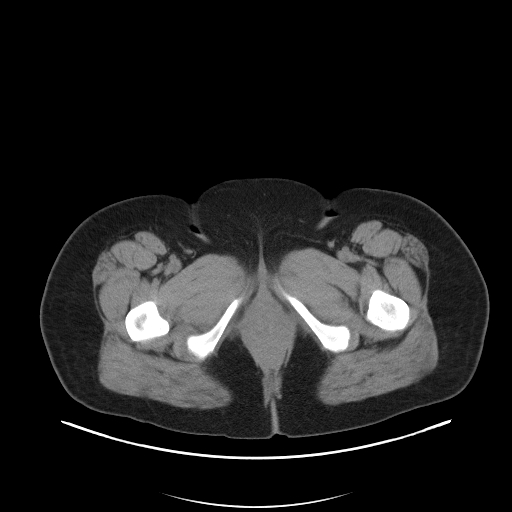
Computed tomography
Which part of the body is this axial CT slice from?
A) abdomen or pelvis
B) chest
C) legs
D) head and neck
A) abdomen or pelvis
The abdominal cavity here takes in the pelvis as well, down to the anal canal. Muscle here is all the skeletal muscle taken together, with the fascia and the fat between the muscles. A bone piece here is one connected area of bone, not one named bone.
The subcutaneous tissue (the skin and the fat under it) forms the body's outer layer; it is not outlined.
{"muscle":[{"outer":[[372,219],[402,227],[428,251],[427,306],[438,361],[417,382],[359,401],[324,404],[314,391],[328,358],[308,334],[299,331],[287,365],[273,381],[256,366],[238,336],[222,342],[208,370],[233,392],[233,400],[225,406],[178,407],[120,394],[100,383],[97,364],[103,323],[94,303],[91,274],[101,251],[114,241],[146,230],[187,259],[227,254],[248,269],[260,264],[271,269],[291,250],[312,247],[331,252],[359,223]],"holes":[[[264,298],[267,298],[273,302],[287,316],[290,322],[285,344],[286,345],[285,353],[283,359],[281,360],[281,363],[277,366],[274,371],[268,371],[260,363],[252,347],[250,338],[248,337],[249,336],[244,325],[246,318],[252,307],[256,302]],[[375,289],[381,289],[388,293],[395,295],[401,298],[407,303],[410,309],[410,322],[404,329],[402,330],[397,330],[396,331],[387,331],[380,328],[378,326],[374,324],[372,324],[370,322],[366,320],[365,318],[365,314],[368,307],[368,301],[373,290]],[[275,283],[279,285],[286,292],[296,297],[301,301],[310,312],[321,322],[333,325],[345,325],[347,326],[350,331],[350,338],[347,348],[343,351],[338,352],[333,352],[326,349],[322,345],[311,328],[294,308],[285,299],[280,297],[275,292],[273,287]],[[147,300],[152,300],[156,303],[159,313],[167,320],[169,324],[169,330],[168,332],[164,335],[162,335],[158,337],[155,337],[152,339],[149,339],[142,342],[140,341],[138,342],[132,341],[128,335],[125,327],[125,322],[124,321],[125,316],[130,308]],[[241,295],[246,296],[245,299],[237,308],[236,311],[229,320],[221,336],[215,345],[212,352],[204,359],[199,359],[196,356],[190,353],[188,351],[186,345],[186,338],[187,336],[191,334],[199,334],[200,333],[203,333],[209,330],[217,322],[232,300]]]}],"torso":[[[244,176],[292,178],[329,197],[350,187],[395,190],[440,213],[468,246],[489,293],[484,345],[468,385],[452,398],[364,427],[267,439],[182,433],[74,400],[51,365],[39,325],[47,276],[70,233],[88,215],[121,199],[166,193],[192,202],[209,186]]],"abdominal_cavity":[[[264,298],[267,298],[273,302],[287,316],[290,322],[285,344],[286,345],[285,353],[283,359],[281,360],[281,363],[277,366],[274,371],[268,371],[260,363],[252,347],[250,338],[248,337],[249,336],[244,325],[246,318],[252,307],[256,302]]],"bones":[[[375,289],[381,289],[388,293],[395,295],[401,298],[407,303],[410,309],[410,322],[404,329],[402,330],[397,330],[396,331],[387,331],[380,328],[378,326],[374,324],[372,324],[370,322],[366,320],[365,318],[365,314],[368,307],[368,301],[373,290]],[[275,283],[279,285],[286,292],[296,297],[301,301],[310,312],[321,322],[333,325],[345,325],[347,326],[350,331],[350,338],[347,348],[343,351],[338,352],[333,352],[326,349],[322,345],[311,328],[294,308],[285,299],[280,297],[275,292],[273,287]],[[147,300],[152,300],[156,303],[159,313],[167,320],[169,324],[169,330],[168,332],[164,335],[162,335],[158,337],[155,337],[152,339],[149,339],[142,342],[140,341],[138,342],[132,341],[128,335],[125,327],[125,322],[124,321],[125,316],[130,308]],[[241,295],[246,296],[245,299],[237,308],[236,311],[229,320],[221,336],[215,345],[212,352],[204,359],[199,359],[196,356],[190,353],[188,351],[186,345],[186,338],[187,336],[191,334],[199,334],[200,333],[203,333],[209,330],[217,322],[232,300]]]}